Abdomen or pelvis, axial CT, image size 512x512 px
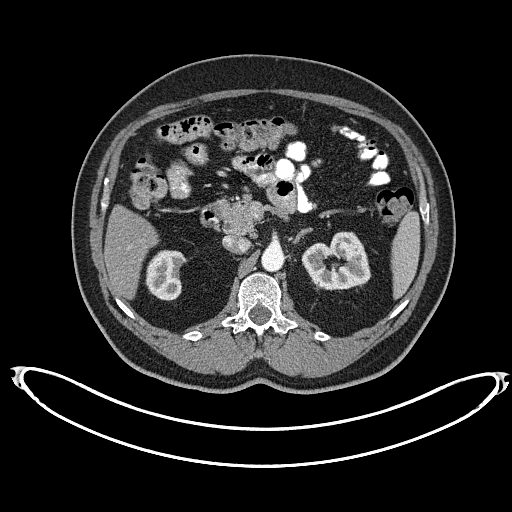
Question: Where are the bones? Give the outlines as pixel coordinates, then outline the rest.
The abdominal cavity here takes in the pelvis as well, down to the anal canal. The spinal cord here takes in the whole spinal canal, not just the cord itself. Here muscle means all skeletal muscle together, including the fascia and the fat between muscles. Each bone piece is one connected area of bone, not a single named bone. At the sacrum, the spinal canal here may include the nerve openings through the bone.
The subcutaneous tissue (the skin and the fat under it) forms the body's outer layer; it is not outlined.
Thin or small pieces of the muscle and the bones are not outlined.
Answer: {"bones":[{"outer":[[259,338],[269,328],[283,335],[298,324],[295,320],[289,319],[282,314],[280,309],[282,292],[279,284],[274,277],[264,272],[254,272],[241,281],[237,293],[237,305],[239,309],[236,314],[230,315],[221,321],[223,326],[231,326],[235,334],[251,328]],"hole":[[257,324],[262,324],[263,323],[264,323],[270,317],[270,315],[271,314],[271,313],[266,308],[265,308],[264,307],[261,307],[260,306],[256,306],[255,307],[254,307],[249,312],[249,316],[250,317],[250,318],[255,323],[256,323]]},[[424,225],[428,225],[429,224],[429,204],[427,201],[427,199],[425,195],[425,192],[422,186],[421,187],[421,190],[420,191],[420,199],[419,200],[419,209],[422,215],[422,219],[423,220]],[[103,213],[105,212],[107,208],[107,206],[108,205],[108,199],[109,198],[107,194],[107,186],[109,181],[108,177],[105,177],[104,178],[104,180],[103,181],[103,185],[104,186],[103,187],[103,192],[102,193],[102,196],[100,199],[100,209]],[[388,319],[389,319],[390,318],[392,318],[393,317],[394,317],[396,315],[397,315],[405,307],[405,306],[407,304],[407,303],[409,301],[409,299],[408,298],[406,298],[405,299],[404,299],[388,315]],[[133,319],[134,319],[135,318],[135,316],[134,315],[134,314],[130,310],[130,309],[119,298],[118,298],[117,297],[115,297],[115,301],[116,302],[116,303],[118,305],[118,306],[128,316],[129,316],[131,318],[132,318]]],"abdominal_cavity":[[[336,336],[349,335],[387,315],[403,299],[421,264],[424,239],[417,192],[393,136],[367,118],[274,93],[200,103],[140,127],[122,150],[104,221],[104,261],[118,297],[151,324],[181,332],[215,316],[245,276],[264,271],[287,290],[302,317]]],"spinal_cord":[[[257,324],[262,324],[263,323],[264,323],[270,317],[270,315],[271,314],[271,313],[266,308],[265,308],[264,307],[261,307],[260,306],[256,306],[255,307],[254,307],[249,312],[249,316],[250,317],[250,318],[255,323],[256,323]]],"muscle":[{"outer":[[302,377],[319,377],[320,376],[324,376],[344,368],[357,360],[383,339],[396,331],[407,321],[408,318],[411,315],[412,311],[415,307],[419,296],[423,289],[427,275],[431,269],[432,264],[434,261],[436,253],[436,248],[437,247],[437,236],[438,235],[438,215],[437,214],[437,207],[436,206],[436,198],[434,194],[433,180],[429,167],[427,165],[422,154],[409,136],[397,124],[382,116],[376,111],[362,104],[345,98],[329,94],[301,91],[295,89],[283,89],[282,88],[278,89],[270,89],[269,88],[264,88],[263,89],[228,89],[227,90],[221,90],[220,91],[204,93],[179,101],[162,104],[150,109],[143,115],[126,125],[114,137],[101,160],[97,170],[97,176],[92,188],[91,198],[90,199],[90,207],[89,208],[89,226],[90,227],[89,242],[91,248],[91,257],[98,272],[99,284],[106,305],[116,319],[121,324],[130,330],[141,340],[153,348],[158,353],[186,369],[204,374],[216,374],[218,373],[222,375],[228,375],[240,371],[252,360],[262,359],[272,368],[281,373],[290,376],[301,376]],"holes":[[[322,341],[386,315],[392,318],[409,301],[403,298],[421,264],[429,204],[422,186],[418,199],[393,136],[367,118],[274,93],[200,103],[140,127],[124,145],[110,197],[105,177],[100,199],[106,213],[104,261],[118,306],[133,319],[131,307],[151,324],[181,332],[215,316],[235,289],[239,309],[221,324],[235,334],[251,328],[260,338],[269,328],[283,335],[297,326],[280,309],[285,288],[297,312],[322,330],[313,333]],[[190,340],[197,340],[198,339],[199,339],[200,338],[201,338],[202,337],[202,333],[201,332],[200,332],[197,330],[192,330],[191,331],[188,331],[187,332],[185,332],[184,333],[183,333],[182,334],[182,337],[185,339],[189,339]]]}],"torso":[[[303,394],[348,387],[382,375],[420,335],[445,291],[455,253],[455,212],[446,170],[412,114],[379,85],[347,69],[271,54],[218,56],[180,66],[126,101],[102,127],[84,157],[71,211],[72,254],[81,295],[116,353],[144,374],[210,393],[263,383]]]}